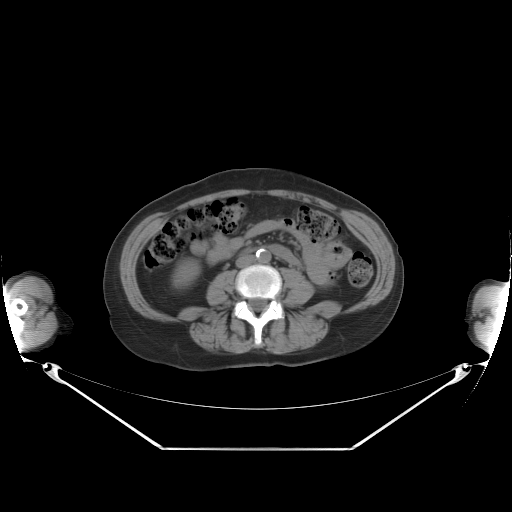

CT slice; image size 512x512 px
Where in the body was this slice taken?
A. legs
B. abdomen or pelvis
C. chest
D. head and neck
B. abdomen or pelvis
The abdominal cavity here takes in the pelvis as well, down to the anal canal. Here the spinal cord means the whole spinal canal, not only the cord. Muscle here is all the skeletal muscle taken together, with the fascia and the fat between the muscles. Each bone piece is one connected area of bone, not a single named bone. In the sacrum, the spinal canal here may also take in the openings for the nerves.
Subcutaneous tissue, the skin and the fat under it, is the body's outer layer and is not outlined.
bones 1: [[253,264],[270,265],[274,267],[279,272],[282,281],[281,289],[276,296],[276,299],[282,304],[284,317],[272,319],[263,326],[261,343],[258,346],[254,342],[254,329],[252,325],[246,320],[232,314],[235,303],[242,298],[235,287],[236,275],[241,269]]; inner edge: [[252,298],[261,298],[262,299],[267,299],[268,300],[268,303],[267,304],[267,305],[266,306],[266,307],[262,311],[261,311],[260,312],[255,312],[254,311],[253,311],[249,307],[249,305],[248,304],[248,301],[247,300],[248,299],[251,299]]
bones 2: [[16,299],[21,299],[23,301],[24,301],[26,303],[26,304],[27,305],[27,306],[28,307],[28,308],[25,311],[25,312],[24,313],[23,313],[22,314],[19,314],[18,315],[17,314],[16,314],[10,308],[10,304],[11,304]]
abdominal cavity: [[248,194],[314,203],[339,216],[375,259],[376,277],[363,298],[347,307],[332,299],[306,305],[315,289],[298,269],[279,271],[253,263],[237,272],[219,272],[205,291],[208,306],[188,305],[176,315],[154,308],[138,285],[136,266],[161,223],[188,207]]
muscle 1: [[240,188],[250,189],[251,190],[256,190],[257,189],[259,190],[286,189],[287,190],[300,191],[317,196],[340,207],[360,211],[372,218],[376,221],[386,235],[392,246],[395,257],[395,273],[394,274],[393,285],[388,295],[384,299],[373,306],[369,306],[365,309],[357,312],[353,312],[348,314],[342,314],[334,317],[329,325],[329,330],[327,334],[319,343],[313,347],[301,351],[300,350],[299,351],[294,351],[288,354],[274,354],[267,352],[263,348],[258,348],[257,349],[255,348],[250,351],[239,354],[233,354],[232,353],[215,354],[205,350],[195,343],[190,337],[187,328],[183,324],[181,323],[176,323],[175,322],[174,323],[173,322],[165,323],[157,320],[150,319],[141,315],[137,312],[128,302],[126,295],[122,287],[122,284],[120,280],[120,273],[119,272],[119,262],[121,257],[122,249],[125,243],[125,241],[132,230],[136,225],[145,217],[153,213],[160,211],[168,211],[179,204],[181,204],[193,198],[199,197],[206,194],[209,194],[222,190],[226,190],[227,189],[239,189]]; inner edge: [[248,194],[339,216],[375,259],[363,298],[347,307],[332,299],[306,305],[314,287],[298,269],[282,267],[276,299],[284,317],[263,326],[258,346],[252,325],[232,314],[242,298],[235,269],[209,282],[208,306],[176,315],[154,308],[136,266],[161,223]]
muscle 2: [[28,275],[43,279],[50,287],[53,296],[51,307],[53,308],[57,318],[58,327],[52,336],[44,343],[35,347],[24,349],[20,335],[23,331],[25,322],[20,318],[19,315],[24,314],[29,307],[21,298],[16,298],[10,303],[9,287],[12,283]]
muscle 3: [[484,285],[493,285],[497,286],[501,289],[499,293],[498,306],[495,312],[495,320],[492,324],[492,333],[488,337],[488,344],[486,345],[475,337],[474,325],[473,324],[474,320],[473,319],[473,313],[471,309],[475,293],[480,287]]
right arm: [[28,269],[37,270],[45,274],[52,281],[56,290],[57,301],[59,305],[72,318],[74,323],[73,330],[70,334],[59,336],[51,346],[42,351],[34,353],[24,351],[20,335],[23,331],[25,322],[10,308],[10,290],[6,287],[5,283],[12,275]]
spinal cord: [[252,298],[261,298],[262,299],[267,299],[268,300],[268,303],[267,304],[267,305],[266,306],[266,307],[262,311],[261,311],[260,312],[255,312],[254,311],[253,311],[249,307],[249,305],[248,304],[248,301],[247,300],[248,299],[251,299]]
torso: [[248,167],[278,167],[311,176],[357,198],[383,219],[398,244],[405,273],[402,297],[391,322],[379,337],[358,351],[300,366],[249,366],[215,371],[189,371],[154,363],[135,355],[113,333],[103,298],[104,264],[115,236],[136,211],[167,192],[218,171]]
left arm: [[484,278],[493,278],[505,283],[500,288],[501,290],[499,293],[499,302],[495,312],[495,320],[492,324],[492,333],[488,337],[488,344],[485,346],[488,353],[475,346],[469,340],[466,334],[467,325],[464,321],[465,307],[468,294],[471,288],[478,281]]